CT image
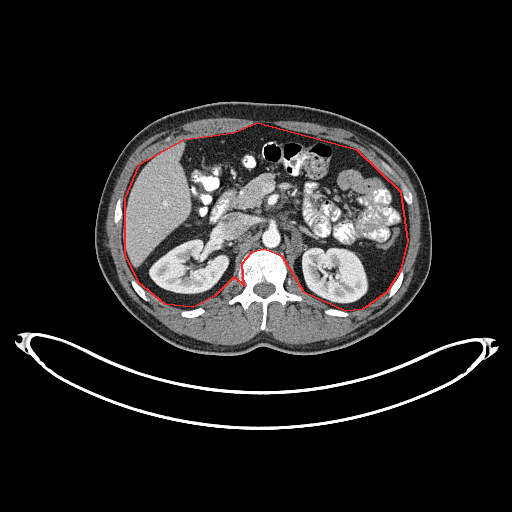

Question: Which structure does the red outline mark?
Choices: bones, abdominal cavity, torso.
Answer: red: abdominal cavity.
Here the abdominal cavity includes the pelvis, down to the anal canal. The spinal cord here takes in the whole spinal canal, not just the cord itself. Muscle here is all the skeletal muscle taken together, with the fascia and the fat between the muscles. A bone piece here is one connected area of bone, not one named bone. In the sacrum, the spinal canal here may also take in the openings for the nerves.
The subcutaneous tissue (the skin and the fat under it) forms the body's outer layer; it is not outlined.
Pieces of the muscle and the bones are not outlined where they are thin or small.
The abdominal cavity is outlined by [[345,310],[363,308],[387,291],[401,269],[408,241],[401,192],[357,150],[257,123],[233,133],[183,140],[138,165],[124,198],[124,254],[137,281],[164,303],[193,306],[216,294],[234,276],[244,285],[242,263],[252,251],[264,248],[281,255],[303,291]]. The torso is outlined by [[212,355],[239,355],[260,346],[298,355],[332,351],[373,335],[410,304],[429,273],[431,222],[419,177],[385,137],[364,124],[326,110],[228,101],[165,115],[142,128],[125,145],[106,179],[96,214],[94,245],[101,272],[127,311],[160,338],[188,351]]. The bones appear in 7 outlined pieces: piece 1: [[262,330],[265,328],[267,306],[270,303],[278,302],[284,306],[289,301],[302,300],[283,287],[287,274],[283,259],[279,254],[264,249],[254,251],[246,258],[241,269],[245,287],[228,302],[239,302],[244,310],[253,302],[260,303],[263,311]], around a hole outlined by [[263,297],[265,297],[266,296],[267,296],[269,294],[270,294],[274,290],[274,288],[272,285],[270,285],[269,284],[266,284],[265,283],[264,283],[263,284],[259,284],[258,285],[257,285],[254,288],[254,290],[255,291],[255,292],[256,293],[259,294]]; piece 2: [[387,299],[388,298],[390,298],[398,290],[398,289],[400,287],[400,286],[402,283],[403,278],[404,277],[404,273],[402,270],[401,270],[400,271],[397,278],[395,280],[395,281],[393,283],[393,284],[388,290],[388,294],[386,297],[386,298]]; piece 3: [[146,302],[148,302],[149,301],[149,299],[146,296],[146,294],[145,293],[145,291],[144,290],[144,289],[136,281],[136,280],[133,279],[131,281],[131,285],[132,286],[133,289],[135,291],[135,292],[144,301],[145,301]]; piece 4: [[115,224],[117,224],[121,220],[121,218],[122,217],[122,206],[123,205],[123,200],[121,198],[119,198],[118,199],[118,200],[117,201],[117,203],[116,204],[116,206],[115,207],[115,211],[114,212],[114,222],[115,223]]; piece 5: [[188,318],[193,318],[194,317],[197,317],[198,316],[199,316],[200,315],[201,315],[204,312],[204,310],[202,308],[196,308],[195,309],[191,309],[190,310],[183,310],[182,311],[181,311],[181,315],[183,317],[187,317]]; piece 6: [[407,205],[411,205],[411,204],[412,203],[412,195],[411,194],[411,193],[407,189],[407,188],[406,187],[406,186],[403,183],[402,183],[402,194],[403,195],[403,196],[404,197],[404,199],[405,200],[405,201],[406,202],[406,204]]; piece 7: [[343,317],[344,316],[347,316],[348,315],[348,313],[346,311],[343,311],[342,310],[338,310],[337,309],[327,309],[326,310],[325,310],[324,311],[324,312],[326,314],[328,314],[329,315],[331,315],[332,316],[342,316]]. The spinal cord is outlined by [[263,297],[265,297],[266,296],[267,296],[269,294],[270,294],[274,290],[274,288],[272,285],[270,285],[269,284],[266,284],[265,283],[264,283],[263,284],[259,284],[258,285],[257,285],[254,288],[254,290],[255,291],[255,292],[256,293],[259,294]]. The muscle is outlined by [[229,346],[241,344],[247,341],[249,341],[253,337],[261,332],[270,334],[273,337],[282,341],[284,343],[293,343],[294,344],[297,344],[298,343],[311,343],[312,342],[316,342],[321,340],[328,340],[349,333],[368,320],[373,319],[383,313],[395,304],[401,298],[403,294],[406,291],[410,283],[418,257],[418,251],[420,246],[420,213],[419,212],[419,206],[418,205],[418,200],[417,199],[416,193],[405,171],[388,154],[377,145],[343,128],[340,128],[339,127],[330,127],[315,122],[310,122],[309,121],[297,121],[296,120],[278,120],[277,121],[269,121],[268,120],[247,119],[246,118],[239,118],[238,117],[209,117],[208,118],[192,120],[183,124],[174,126],[162,132],[154,134],[144,140],[138,145],[128,157],[114,185],[113,191],[108,206],[107,218],[106,219],[106,233],[108,237],[108,247],[110,250],[111,256],[115,265],[117,276],[120,283],[128,295],[135,302],[147,312],[154,316],[172,331],[180,335],[185,335],[194,338],[197,340],[211,343],[214,345],[228,345]] with holes at [[262,330],[270,303],[302,300],[283,287],[288,271],[303,291],[336,308],[324,311],[332,316],[347,316],[347,310],[363,308],[386,291],[390,298],[404,277],[406,206],[412,195],[351,147],[257,123],[183,140],[138,165],[124,199],[117,201],[114,222],[122,221],[124,254],[135,277],[131,285],[144,301],[149,301],[147,290],[168,305],[193,306],[236,276],[245,287],[228,302],[239,302],[244,310],[260,303]] and at [[188,318],[193,318],[194,317],[197,317],[198,316],[199,316],[200,315],[201,315],[204,312],[204,310],[202,308],[196,308],[195,309],[191,309],[190,310],[183,310],[182,311],[181,311],[181,315],[183,317],[187,317]] and at [[389,172],[390,172],[391,172],[392,172],[392,171],[391,170],[391,169],[390,168],[389,167],[388,166],[387,165],[386,164],[385,163],[384,163],[383,163],[383,164],[383,165],[383,166],[384,167],[385,168],[386,169],[387,170],[388,171]].